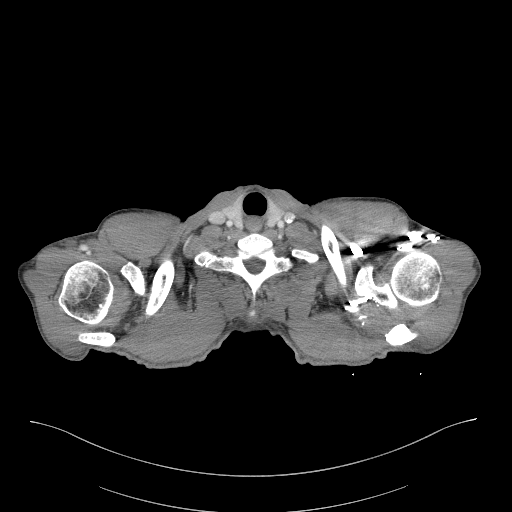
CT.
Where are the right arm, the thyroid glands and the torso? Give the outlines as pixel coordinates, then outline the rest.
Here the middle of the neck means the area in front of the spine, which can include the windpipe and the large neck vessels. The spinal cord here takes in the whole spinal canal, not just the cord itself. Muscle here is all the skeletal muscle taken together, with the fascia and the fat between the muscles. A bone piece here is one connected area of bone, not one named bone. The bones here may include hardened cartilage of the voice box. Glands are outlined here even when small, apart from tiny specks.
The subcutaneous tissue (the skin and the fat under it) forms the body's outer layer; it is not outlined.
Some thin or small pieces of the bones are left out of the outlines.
{"right_arm":[[[108,213],[110,214],[122,245],[122,256],[119,278],[122,307],[107,322],[86,331],[85,333],[82,333],[49,348],[39,334],[34,320],[30,302],[17,279],[16,275],[17,267],[21,262],[32,257],[40,248],[50,242],[67,236],[94,230],[102,218]]],"thyroid_glands":[[[241,195],[241,201],[240,202],[240,209],[241,210],[241,215],[242,216],[242,223],[241,224],[241,225],[240,225],[239,226],[237,226],[233,222],[232,222],[222,212],[222,210],[224,208],[229,206],[232,203],[233,203],[234,202],[234,201],[235,201]],[[268,195],[269,196],[270,196],[271,197],[271,199],[280,208],[281,208],[283,210],[283,214],[281,216],[279,221],[278,221],[272,227],[269,227],[266,225],[266,220],[267,219],[267,214],[268,213],[268,210],[269,209],[269,204],[268,203]]],"torso":[[[254,183],[309,204],[345,195],[401,205],[368,230],[368,250],[401,311],[437,351],[316,366],[298,363],[282,338],[266,330],[233,331],[204,360],[167,369],[95,350],[73,361],[50,349],[123,307],[123,245],[110,212],[154,208],[185,219],[218,192]]],"spinal_cord":[[[253,257],[254,257],[255,258],[257,258],[264,262],[264,265],[263,266],[262,269],[259,272],[258,272],[257,273],[252,273],[251,272],[250,272],[247,269],[247,268],[245,266],[245,263],[244,262],[245,261],[246,261]]],"left_arm":[[[403,207],[409,216],[414,220],[443,234],[462,240],[468,244],[477,255],[481,264],[482,271],[480,278],[467,298],[459,326],[451,340],[439,350],[437,350],[429,342],[402,311],[387,284],[388,281],[384,277],[376,258],[369,250],[367,235],[369,230]]],"muscle":[{"outer":[[240,188],[280,191],[306,208],[336,200],[387,202],[404,214],[411,230],[464,246],[475,275],[449,333],[433,346],[420,347],[406,343],[419,333],[398,322],[383,334],[388,346],[351,361],[303,354],[276,321],[233,319],[186,359],[148,361],[113,346],[116,337],[108,330],[79,331],[76,339],[85,347],[75,355],[63,352],[46,336],[25,282],[23,273],[32,261],[59,242],[96,238],[114,215],[157,213],[181,224]],"holes":[[[248,190],[263,192],[293,214],[283,227],[257,232],[273,242],[278,254],[300,248],[319,257],[312,263],[293,258],[288,271],[262,283],[254,305],[251,290],[240,276],[194,262],[203,250],[227,254],[240,238],[252,232],[209,221],[209,214],[221,212]],[[411,250],[426,252],[433,256],[439,264],[442,280],[438,297],[434,301],[416,307],[400,304],[396,309],[389,309],[377,304],[372,299],[360,295],[354,289],[356,275],[362,266],[373,265],[373,281],[376,285],[381,286],[390,279],[392,268],[398,259]],[[82,260],[90,260],[104,268],[108,272],[111,281],[113,284],[113,298],[112,299],[112,302],[108,308],[107,314],[101,321],[96,324],[85,323],[73,317],[71,317],[64,312],[58,303],[58,298],[62,287],[62,279],[66,270],[74,263]],[[165,257],[171,257],[174,263],[173,281],[159,309],[152,316],[145,317],[144,310],[147,298],[145,296],[138,295],[133,291],[130,283],[120,272],[120,269],[128,261],[132,262],[141,269],[146,282],[146,285],[148,287],[151,284],[158,266],[162,259]],[[322,223],[325,223],[331,229],[338,242],[339,253],[344,264],[344,270],[346,274],[346,279],[347,280],[347,286],[346,289],[342,288],[340,286],[337,277],[332,269],[332,267],[325,254],[322,245],[322,242],[321,241],[321,236],[320,235],[320,227]],[[252,308],[254,308],[255,309],[255,310],[256,311],[256,315],[254,317],[253,317],[252,318],[249,318],[248,317],[248,316],[247,315],[247,314],[248,313],[248,311],[250,309],[251,309]]]}],"middle_of_the_neck":[[[248,190],[259,190],[267,196],[268,209],[265,220],[267,227],[272,228],[279,222],[284,211],[291,212],[293,219],[283,227],[263,229],[261,231],[248,231],[211,223],[209,221],[209,214],[218,211],[237,227],[241,226],[243,223],[241,209],[242,194]]],"bones":[[[411,250],[426,252],[433,256],[439,264],[442,280],[438,297],[434,301],[416,307],[400,304],[396,309],[389,309],[377,304],[372,299],[360,295],[354,289],[356,275],[362,266],[373,265],[373,281],[376,285],[381,286],[390,279],[392,268],[398,259]],{"outer":[[252,232],[269,238],[278,254],[287,255],[291,249],[300,248],[319,257],[312,263],[293,258],[293,266],[288,271],[275,274],[262,283],[254,305],[251,303],[251,290],[240,276],[194,262],[194,257],[203,250],[220,256],[227,254],[236,247],[240,238]],"hole":[[253,257],[254,257],[255,258],[257,258],[264,262],[264,265],[263,266],[262,269],[259,272],[258,272],[257,273],[252,273],[251,272],[250,272],[247,269],[247,268],[245,266],[245,263],[244,262],[245,261],[246,261]]},[[82,260],[90,260],[104,268],[108,272],[111,281],[113,284],[113,298],[112,299],[112,302],[108,308],[107,314],[101,321],[96,324],[85,323],[73,317],[71,317],[64,312],[58,303],[58,298],[62,287],[62,279],[66,270],[74,263]],[[165,257],[171,257],[174,263],[173,281],[159,309],[152,316],[145,317],[144,310],[147,298],[145,296],[138,295],[133,291],[130,283],[120,272],[120,269],[128,261],[132,262],[141,269],[146,282],[146,285],[148,287],[151,284],[158,266],[162,259]],[[322,223],[325,223],[331,229],[338,242],[339,253],[344,264],[344,270],[346,274],[346,279],[347,280],[347,286],[346,289],[342,288],[340,286],[337,277],[332,269],[332,267],[325,254],[322,245],[322,242],[321,241],[321,236],[320,235],[320,227]],[[398,323],[404,323],[411,330],[417,332],[418,333],[418,335],[415,338],[412,339],[410,341],[408,341],[401,345],[399,345],[398,346],[391,346],[386,342],[385,340],[385,337],[384,336],[384,334],[386,332],[387,332],[391,327],[392,327],[394,325]],[[87,331],[108,331],[112,333],[114,335],[115,337],[115,342],[112,346],[110,346],[109,347],[105,347],[104,346],[100,346],[99,345],[93,345],[92,344],[87,344],[86,343],[81,342],[77,339],[77,336],[78,335],[78,333],[79,332],[86,332]]]}